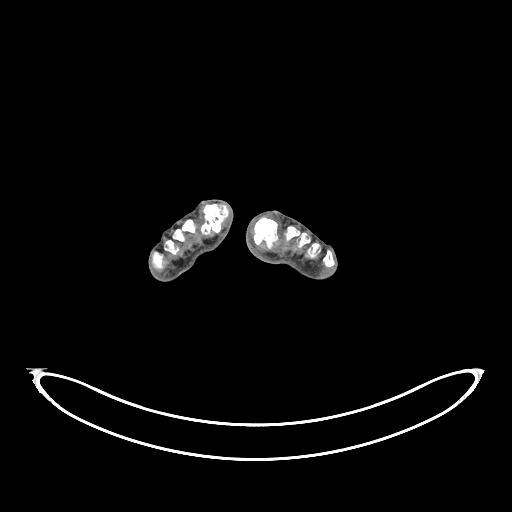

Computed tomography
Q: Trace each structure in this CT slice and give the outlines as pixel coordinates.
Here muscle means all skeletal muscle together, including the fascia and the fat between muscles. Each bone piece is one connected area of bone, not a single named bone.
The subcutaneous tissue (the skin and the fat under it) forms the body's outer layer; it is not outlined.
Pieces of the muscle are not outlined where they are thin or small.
A: Outlines:
left leg: 268,209 279,210 286,215 291,216 299,220 319,236 320,238 331,244 337,256 337,270 333,276 328,279 320,281 312,280 301,275 286,265 273,265 269,263 266,263 252,255 245,242 246,226 252,216 258,212
bones 1: 221,202 225,202 230,206 231,208 231,215 221,224 221,230 218,233 215,233 212,231 209,236 205,236 203,235 201,233 201,230 200,228 201,227 201,225 204,222 204,215 202,210 204,204 205,203 220,203
bones 2: 263,215 273,219 277,223 277,236 278,238 276,242 273,245 273,247 271,249 268,249 267,248 266,246 266,243 264,240 263,240 259,245 256,245 253,239 253,235 254,234 253,228 254,227 255,222 261,216
bones 3: 188,218 192,219 194,222 196,226 195,232 193,233 185,231 183,233 185,238 183,241 179,240 175,240 174,241 174,244 179,249 175,254 172,254 165,250 164,242 167,239 171,239 175,229 179,228 184,221
bones 4: 289,225 293,225 301,232 306,232 312,242 319,243 320,251 314,258 310,258 308,255 309,254 307,250 310,246 309,243 306,243 300,247 299,246 299,241 300,240 299,236 294,236 288,241 285,239 284,234
bones 5: 153,249 156,249 158,251 159,251 163,255 163,263 164,264 164,267 163,268 163,269 162,269 161,270 156,270 155,269 153,269 150,266 150,257 151,256 151,251
bones 6: 328,247 330,247 333,250 333,256 334,257 334,258 335,259 335,260 337,262 337,266 335,268 335,269 334,270 331,270 329,268 328,268 327,267 326,267 322,261 322,259 326,253 326,249
muscle 1: 267,213 271,213 279,217 283,222 290,224 286,227 283,234 287,242 294,237 299,237 298,246 300,248 309,244 306,251 310,259 314,259 321,251 320,243 323,245 326,248 321,261 329,269 323,274 294,259 273,252 259,251 252,242 249,233 252,223 258,217 252,228 254,244 259,246 264,241 266,248 271,250 279,238 278,223 273,218 265,215
muscle 2: 203,204 201,209 203,222 199,228 200,233 205,237 209,237 212,232 216,234 174,267 171,267 167,271 157,271 161,271 165,267 164,255 158,250 161,249 164,238 174,229 171,238 167,238 163,242 163,248 165,251 175,255 180,249 175,244 175,241 183,242 186,239 184,234 185,232 193,234 196,232 197,226 191,218 198,212 199,208
right leg: 205,198 219,198 225,200 230,204 233,209 234,216 228,234 218,247 213,251 202,255 193,267 183,273 177,279 166,283 156,280 151,275 147,264 147,258 150,249 160,239 162,231 184,214 189,212 200,200